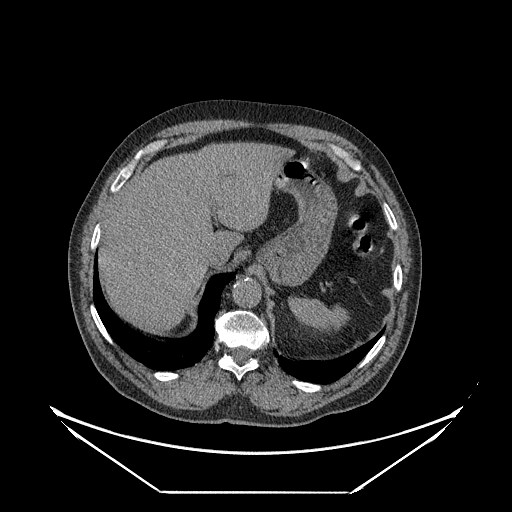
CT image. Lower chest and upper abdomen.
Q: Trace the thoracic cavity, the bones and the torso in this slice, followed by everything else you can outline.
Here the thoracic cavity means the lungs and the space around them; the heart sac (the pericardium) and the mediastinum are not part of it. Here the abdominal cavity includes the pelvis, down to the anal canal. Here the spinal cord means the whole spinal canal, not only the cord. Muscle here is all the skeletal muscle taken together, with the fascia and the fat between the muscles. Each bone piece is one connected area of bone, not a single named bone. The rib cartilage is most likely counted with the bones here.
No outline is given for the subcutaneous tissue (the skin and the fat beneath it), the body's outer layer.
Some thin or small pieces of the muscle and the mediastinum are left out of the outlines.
A: {"thoracic_cavity":[[[95,253],[99,285],[109,307],[134,330],[160,340],[176,340],[191,334],[198,324],[198,307],[210,278],[234,273],[233,279],[224,286],[220,294],[219,308],[213,318],[215,337],[205,355],[193,365],[174,371],[153,370],[122,349],[108,332],[94,303]],[[383,328],[384,328],[384,332],[376,340],[362,359],[354,367],[336,380],[325,384],[300,380],[288,374],[281,368],[272,351],[273,349],[281,356],[290,360],[300,362],[327,362],[335,360],[342,356],[345,356],[360,346],[369,342]]],"bones":[{"outer":[[238,309],[251,311],[258,316],[266,325],[269,333],[268,345],[255,354],[258,359],[258,367],[247,371],[240,380],[238,380],[231,371],[223,369],[218,365],[218,360],[223,353],[223,347],[217,352],[213,349],[213,342],[216,337],[214,318],[219,312]],"hole":[[241,346],[242,346],[243,347],[245,347],[246,348],[249,349],[251,351],[251,356],[247,360],[247,361],[245,363],[244,363],[243,364],[238,364],[234,360],[234,359],[233,358],[233,357],[231,354],[231,350],[234,348],[236,348],[237,347],[240,347]]},[[158,139],[166,139],[167,140],[167,143],[164,147],[155,153],[144,155],[139,160],[137,165],[133,170],[133,172],[124,182],[121,187],[115,193],[110,192],[110,186],[112,182],[115,179],[117,174],[119,171],[130,161],[137,151],[144,147],[148,143]],[[327,143],[332,143],[335,145],[337,145],[339,147],[344,149],[347,152],[348,152],[354,159],[356,159],[360,162],[361,166],[362,167],[361,170],[360,171],[356,171],[352,169],[347,164],[342,161],[341,159],[333,159],[328,154],[328,148],[326,145]],[[384,333],[385,334],[385,341],[382,345],[381,348],[377,353],[377,354],[362,367],[361,367],[358,369],[355,369],[355,367],[363,359],[363,358],[365,356],[365,355],[369,351],[369,350],[373,346],[373,345],[377,341],[377,340]],[[91,303],[93,303],[94,304],[95,306],[95,308],[97,311],[97,313],[104,327],[106,329],[107,332],[113,340],[114,342],[114,344],[113,345],[110,344],[103,337],[103,336],[99,331],[92,317],[92,315],[90,311],[90,304]],[[293,379],[297,379],[300,381],[303,381],[304,382],[309,382],[310,383],[314,383],[315,384],[319,384],[320,385],[321,385],[321,389],[318,391],[315,391],[314,392],[307,392],[306,391],[303,391],[300,389],[298,389],[292,384],[291,381]],[[383,201],[385,201],[388,204],[388,205],[390,207],[390,208],[395,217],[396,222],[398,225],[398,227],[396,230],[392,230],[390,228],[390,227],[389,226],[389,224],[388,223],[388,222],[386,219],[386,217],[384,214],[384,211],[382,208],[382,202]],[[398,262],[400,264],[400,265],[401,266],[401,270],[402,271],[402,283],[401,284],[401,289],[400,290],[400,291],[397,291],[394,288],[394,287],[393,286],[393,270],[394,269],[394,268],[395,267],[395,265],[396,264],[396,263],[397,263]],[[155,371],[172,371],[173,372],[176,372],[177,373],[178,373],[178,374],[179,375],[179,376],[177,378],[176,378],[175,379],[172,379],[171,380],[167,380],[166,381],[162,381],[161,380],[158,380],[156,378],[155,378],[153,376],[153,373]],[[97,223],[100,223],[100,230],[101,231],[100,232],[100,235],[99,236],[99,240],[98,241],[98,243],[97,244],[96,249],[95,251],[93,252],[90,249],[90,244],[91,243],[91,238],[92,237],[92,234],[93,233],[93,231],[94,230],[95,225]]],"torso":[[[213,98],[295,104],[325,111],[359,129],[390,163],[418,225],[422,251],[421,288],[415,323],[404,354],[385,387],[368,403],[293,427],[191,423],[160,415],[123,396],[94,366],[75,322],[68,287],[67,252],[75,216],[105,161],[133,129],[174,106]]],"mediastinum":[[[241,272],[244,272],[247,274],[251,274],[255,276],[263,285],[265,290],[265,315],[264,316],[265,317],[263,319],[251,310],[247,309],[238,308],[230,310],[222,310],[218,312],[220,308],[221,294],[225,286],[230,281],[234,279],[235,274],[238,274]]],"muscle":[{"outer":[[205,119],[236,119],[237,120],[247,120],[248,121],[264,122],[265,123],[269,122],[281,122],[282,123],[300,124],[301,125],[311,126],[327,130],[340,135],[342,137],[344,137],[354,144],[379,171],[395,195],[395,197],[400,206],[405,220],[407,234],[411,247],[412,265],[411,266],[409,284],[408,285],[408,297],[406,304],[406,315],[404,320],[402,333],[400,336],[400,339],[395,351],[390,357],[389,360],[384,364],[378,372],[362,386],[317,409],[304,413],[301,415],[297,416],[277,416],[276,415],[267,414],[262,412],[257,407],[253,405],[246,397],[241,397],[239,395],[226,396],[221,399],[216,404],[202,410],[177,409],[162,404],[150,397],[137,387],[131,381],[120,373],[105,358],[97,348],[85,326],[85,322],[80,305],[80,295],[79,294],[80,293],[80,286],[79,285],[79,271],[78,267],[79,266],[80,235],[82,232],[83,226],[87,219],[87,217],[99,197],[100,192],[107,178],[135,148],[157,132],[167,127],[179,123],[183,123],[188,121],[194,121],[195,120],[204,120]],"hole":[[246,127],[269,129],[326,152],[327,143],[344,149],[360,162],[359,175],[379,202],[388,204],[398,225],[389,229],[391,268],[400,264],[402,283],[400,291],[391,287],[385,341],[362,367],[318,391],[294,386],[269,343],[255,354],[258,367],[240,380],[218,365],[222,346],[175,370],[177,378],[158,380],[154,370],[103,337],[90,311],[91,238],[114,198],[110,186],[119,171],[154,140],[166,139],[166,149]]},[[148,155],[152,155],[151,155],[149,157],[148,157],[147,158],[147,159],[145,159],[141,163],[140,163],[139,164],[139,165],[138,165],[138,164],[139,163],[139,162],[140,161],[140,160],[144,156],[147,156]]],"abdominal_cavity":[[[246,127],[269,129],[327,151],[365,178],[381,203],[393,244],[391,305],[385,326],[345,355],[300,361],[272,349],[263,320],[266,290],[244,271],[210,277],[195,329],[176,339],[134,329],[104,297],[95,252],[101,227],[115,194],[136,167],[175,144]]],"spinal_cord":[[[241,346],[242,346],[243,347],[245,347],[246,348],[249,349],[251,351],[251,356],[247,360],[247,361],[245,363],[244,363],[243,364],[238,364],[234,360],[234,359],[233,358],[233,357],[231,354],[231,350],[234,348],[236,348],[237,347],[240,347]]]}